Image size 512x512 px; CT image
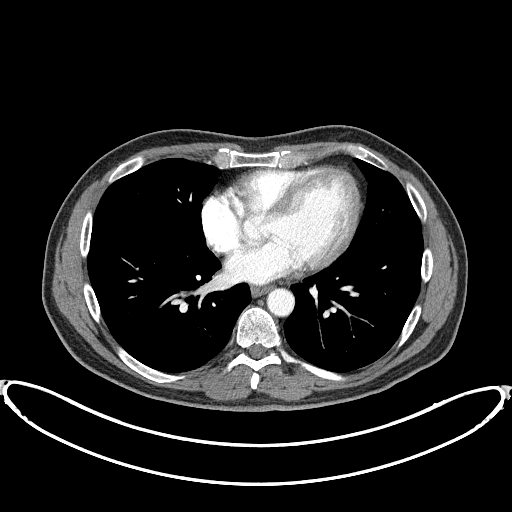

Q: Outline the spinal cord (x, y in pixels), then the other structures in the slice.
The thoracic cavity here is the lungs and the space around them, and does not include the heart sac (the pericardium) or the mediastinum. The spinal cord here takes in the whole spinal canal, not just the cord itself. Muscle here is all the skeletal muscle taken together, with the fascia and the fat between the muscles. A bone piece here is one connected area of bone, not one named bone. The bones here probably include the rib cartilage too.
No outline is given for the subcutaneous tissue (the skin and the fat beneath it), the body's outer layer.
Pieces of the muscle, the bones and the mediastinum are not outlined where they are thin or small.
A: Outlined structures:
spinal cord: 256,359 257,359 258,358 260,358 261,357 266,355 268,353 268,352 269,351 269,349 267,349 265,347 262,346 260,344 253,344 251,346 250,346 250,347 246,350 246,352 251,357 252,357 253,358 255,358
muscle 1: 225,401 245,398 254,391 292,401 313,391 360,385 412,357 430,342 454,304 458,255 428,191 410,170 358,142 281,144 271,150 315,151 352,142 381,157 404,186 407,180 411,181 424,198 428,211 422,224 424,247 432,249 434,267 430,279 421,283 416,300 422,305 419,321 401,347 395,343 371,364 344,373 345,381 323,379 284,361 270,364 258,371 261,379 255,390 249,385 253,370 248,366 239,364 224,371 226,363 240,350 233,335 215,357 197,369 177,374 185,377 171,383 149,380 124,364 115,352 118,343 103,319 97,324 88,311 82,293 83,283 89,281 86,258 80,255 78,248 82,218 89,208 93,213 108,185 109,174 121,162 142,154 146,164 167,157 213,164 211,157 218,147 240,151 244,151 243,148 230,142 148,147 127,156 83,190 55,249 51,289 59,311 97,353 122,370 153,385 201,391 215,400
muscle 2: 296,356 297,356 287,346 287,345 285,343 285,342 284,341 284,346 291,353 292,353 294,355 295,355
pericardium: 256,286 280,286 301,282 305,277 329,266 345,251 354,235 364,209 363,188 354,173 342,166 329,164 300,166 295,168 258,167 236,175 209,196 202,209 202,224 208,247 221,260 222,267 226,273 236,279
thoracic cavity 1: 169,373 197,368 220,352 233,334 238,315 250,301 248,285 224,272 220,261 207,247 202,230 202,202 216,182 220,171 214,165 184,158 155,161 107,187 93,214 87,257 90,282 102,317 112,335 137,359
thoracic cavity 2: 341,373 371,363 391,347 415,303 421,282 421,223 403,186 390,172 358,159 356,163 367,179 368,189 365,209 355,235 347,250 333,264 305,278 301,283 292,284 296,306 286,320 281,334 299,357
torso: 226,411 307,409 358,399 391,387 447,353 465,305 467,250 459,222 445,196 407,152 368,130 343,124 268,136 172,128 148,132 114,147 95,160 72,186 50,226 41,283 45,311 65,347 93,373 138,394
bones 1: 253,389 260,379 257,371 282,360 297,363 323,378 345,380 346,377 291,354 283,346 283,339 271,315 260,307 251,306 246,307 238,317 234,336 241,350 227,363 225,371 239,363 248,365 254,370 250,378 with a hole at 256,359 257,359 258,358 260,358 261,357 266,355 268,353 268,352 269,351 269,349 267,349 265,347 262,346 260,344 253,344 251,346 250,346 250,347 246,350 246,352 251,357 252,357 253,358 255,358
bones 2: 384,170 388,170 388,167 381,158 361,145 352,143 342,143 315,152 294,152 287,149 262,153 248,153 232,150 226,147 220,147 212,157 214,164 220,169 242,166 295,167 312,158 320,158 335,151 342,151
bones 3: 157,382 171,382 177,379 181,379 183,378 184,377 184,375 169,374 168,373 165,373 164,372 156,370 153,368 151,368 137,360 119,345 116,347 116,352 118,356 124,363 143,376
bones 4: 109,184 113,182 115,180 129,173 131,173 135,171 137,169 138,169 140,167 144,165 145,164 145,158 142,155 138,155 131,159 129,159 121,163 110,174 108,178 108,183
bones 5: 422,223 423,223 425,221 427,217 427,211 426,210 425,203 423,200 423,198 421,196 418,190 412,184 411,182 409,181 407,181 405,183 405,186 404,187 410,199 410,201 418,217 420,219
bones 6: 85,258 87,256 87,254 89,250 89,241 90,240 90,236 91,235 91,226 92,225 92,211 89,209 86,212 83,218 83,222 82,223 82,227 81,228 81,232 80,233 80,242 79,243 80,253 81,255
bones 7: 398,347 401,346 409,337 410,334 412,332 414,327 416,325 418,321 418,319 419,318 419,316 421,312 421,305 418,303 415,304 415,305 411,310 402,328 401,333 398,338 398,340 396,342 397,344 397,346
bones 8: 97,323 100,321 100,319 101,318 100,310 99,309 99,305 97,302 97,299 95,296 94,291 90,283 87,281 85,282 83,285 83,293 84,294 84,296 86,300 86,303 88,306 89,311 92,317
bones 9: 422,282 426,282 429,279 431,275 431,272 432,271 432,268 433,267 433,257 432,256 432,252 431,251 431,249 429,247 425,247 424,248 424,250 423,251 423,254 422,255 422,262 421,263 421,279 422,280
mediastinum 1: 281,333 282,333 282,328 285,320 293,311 295,306 295,297 290,288 290,286 281,286 280,287 256,287 255,286 249,285 250,291 251,292 251,301 247,306 257,305 264,308 268,311 274,318 279,327 279,330
mediastinum 2: 365,205 367,182 363,174 360,171 359,168 355,163 355,158 347,155 341,155 338,154 337,155 332,155 311,164 305,165 329,163 330,164 339,164 345,167 347,167 358,176 363,185 364,191 365,192
mediastinum 3: 203,206 208,196 211,193 217,190 218,187 220,185 232,178 236,174 244,170 249,169 252,167 257,167 242,167 241,168 232,168 231,169 220,170 221,173 218,177 218,180 214,185 210,193 205,198 203,202